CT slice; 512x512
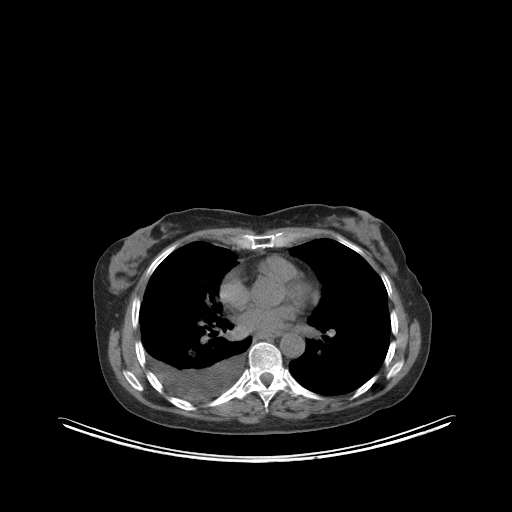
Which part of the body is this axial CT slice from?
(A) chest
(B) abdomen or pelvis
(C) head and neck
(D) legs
(A) chest
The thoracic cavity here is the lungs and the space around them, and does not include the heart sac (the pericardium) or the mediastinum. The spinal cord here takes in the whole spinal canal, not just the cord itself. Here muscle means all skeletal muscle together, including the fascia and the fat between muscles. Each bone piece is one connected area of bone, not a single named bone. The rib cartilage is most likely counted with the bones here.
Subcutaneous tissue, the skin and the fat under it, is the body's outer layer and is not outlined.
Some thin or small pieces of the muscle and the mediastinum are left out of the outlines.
Outlines (x, y in pixels):
bones 1: 258,342 273,344 281,354 283,365 296,381 323,396 324,399 317,400 303,395 292,396 284,390 278,390 269,401 267,412 263,400 253,391 242,399 234,397 215,406 206,406 206,403 236,382 248,367 250,346, around a hole outlined by 263,373 269,373 270,374 271,374 272,375 272,379 271,380 271,381 270,382 270,383 268,385 266,385 265,384 264,384 261,381 261,380 260,379 260,376
bones 2: 280,231 283,232 305,232 309,234 307,237 300,238 295,242 285,246 279,246 278,247 275,246 274,247 265,247 256,249 247,249 246,248 239,248 231,242 231,238 233,236 239,234 267,235 268,234 273,234
bones 3: 174,243 177,243 178,244 177,248 172,251 166,257 164,258 164,259 155,268 148,279 146,278 145,277 145,271 148,266 151,263 151,262 156,257 156,256 157,256 161,252 162,252 165,249 166,249 169,246
bones 4: 136,296 138,296 140,298 140,299 141,300 141,301 140,302 140,307 139,308 139,314 138,315 138,326 136,328 133,328 133,327 132,326 132,322 131,321 131,309 132,308 132,302 133,301 133,299
bones 5: 166,396 173,396 174,397 176,397 177,398 179,398 180,399 182,399 183,400 188,401 192,403 196,407 196,409 195,410 186,410 185,409 180,408 172,404 170,402 169,402 167,400 166,398
bones 6: 375,374 377,374 378,375 378,377 377,378 377,379 374,382 374,383 365,392 364,392 362,394 359,395 357,397 356,397 353,399 350,399 349,398 356,389 357,389 360,386 361,386
bones 7: 335,234 338,234 339,235 342,236 350,242 351,242 352,243 355,244 357,246 358,246 363,251 365,256 364,257 363,256 362,256 359,253 358,253 353,249 340,243 338,241 337,241 335,239 334,239 334,235
bones 8: 139,339 140,339 141,341 141,343 143,346 143,348 145,351 145,359 146,360 146,362 145,363 145,365 144,367 142,367 140,365 140,363 137,358 137,356 135,352 135,341
bones 9: 124,370 128,370 129,371 132,372 132,373 137,378 137,379 139,381 139,382 142,385 142,386 143,387 143,390 142,391 140,391 139,390 134,388 128,382 128,381 125,378 125,377 123,374 123,371
bones 10: 147,370 149,370 150,371 151,371 155,375 155,376 158,379 158,380 161,383 161,384 163,387 163,391 162,392 162,393 160,393 158,391 157,391 150,384 150,383 148,381 148,380 146,377 146,371
bones 11: 393,339 394,339 396,341 396,346 395,347 395,351 394,352 394,354 392,357 392,359 389,365 386,367 384,365 383,362 384,361 385,356 387,353 387,351 389,347 389,344 390,343 390,341
bones 12: 401,359 403,359 403,365 402,366 401,369 395,375 394,375 393,376 392,376 390,378 387,379 386,378 386,375 387,374 387,373 388,372 388,371 389,370 390,367 394,363 395,363 397,361 398,361
bones 13: 392,309 394,309 395,310 395,311 396,312 396,315 397,316 397,319 398,320 398,327 397,328 397,334 396,335 396,336 394,336 392,334 392,333 391,332 391,320 390,319 390,311
bones 14: 380,272 384,272 386,274 386,275 390,282 390,284 391,285 391,288 392,289 392,297 391,298 389,298 388,297 388,295 387,294 387,291 386,290 386,288 385,287 385,286 384,285 384,284 379,275
mediastinum 1: 306,318 308,326 305,329 305,334 307,336 305,350 299,357 292,359 287,367 283,363 280,350 273,343 258,341 251,345 252,338 247,336 242,339 240,332 234,325 235,324 247,333 271,333 301,328 304,325
mediastinum 2: 307,239 313,239 298,245 294,245 288,250 292,256 300,258 307,264 283,252 261,251 247,257 236,265 237,256 233,251 229,248 222,247 220,245 214,245 207,241 222,243 239,249 256,250 265,248 285,247
thoracic cavity 1: 195,241 206,241 235,254 236,264 223,276 217,301 221,304 225,317 239,332 240,338 250,337 251,342 247,350 247,367 235,382 213,399 193,403 171,395 150,370 141,340 139,315 148,280 156,268 176,249
thoracic cavity 2: 318,238 333,239 363,257 378,274 388,298 391,334 382,364 353,391 337,395 322,395 305,387 288,368 289,363 306,350 306,329 309,326 307,319 320,301 322,291 322,284 311,267 300,257 292,255 289,250
muscle 1: 361,248 368,251 391,277 409,320 416,318 420,325 421,344 414,363 407,374 384,394 349,408 315,413 303,419 267,415 257,423 243,423 235,419 196,419 151,408 131,395 117,380 107,353 110,330 121,328 129,296 145,269 144,277 147,283 142,299 136,295 132,299 130,309 131,326 133,329 139,327 140,332 140,338 134,341 134,352 142,368 147,362 149,369 145,371 145,377 149,384 160,394 165,390 170,395 166,395 165,398 172,405 186,411 195,411 196,403 207,402 204,405 211,408 234,398 242,400 255,392 262,400 267,413 269,403 278,391 284,391 292,397 303,396 317,401 324,400 324,396 351,392 348,398 357,398 378,379 379,375 376,373 380,367 383,364 386,368 390,365 397,346 397,341 394,338 390,340 390,337 397,336 399,327 396,310 390,310 388,306 388,300 393,297 391,282 384,271 376,272 366,260, around holes outlined by 124,370 128,370 129,371 132,372 132,373 137,378 137,379 139,381 139,382 142,385 142,386 143,387 143,390 142,391 140,391 139,390 134,388 128,382 128,381 125,378 125,377 123,374 123,371 and by 401,359 403,359 403,365 402,366 401,369 395,375 394,375 393,376 392,376 390,378 387,379 386,378 386,375 387,374 387,373 388,372 388,371 389,370 390,367 394,363 395,363 397,361 398,361
muscle 2: 225,227 248,228 255,231 255,232 257,234 262,234 268,229 280,227 313,227 338,233 335,233 333,238 307,238 297,242 310,235 305,231 267,234 251,234 239,233 230,238 230,242 235,246 212,240 195,240 178,247 179,244 174,242 189,233 201,229
torso: 307,203 348,205 365,210 387,223 397,235 406,263 421,284 432,314 429,355 412,391 400,402 348,424 282,434 196,432 156,424 126,410 107,387 97,355 92,278 104,250 117,239 172,211 208,207 259,215
spinal cord: 263,373 269,373 270,374 271,374 272,375 272,379 271,380 271,381 270,382 270,383 268,385 266,385 265,384 264,384 261,381 261,380 260,379 260,376
pericardium: 261,252 279,252 299,260 309,267 319,281 319,301 309,315 305,318 305,321 301,327 281,329 271,332 247,332 234,323 224,311 223,306 218,299 220,285 224,276 232,268 239,265 247,258 259,254